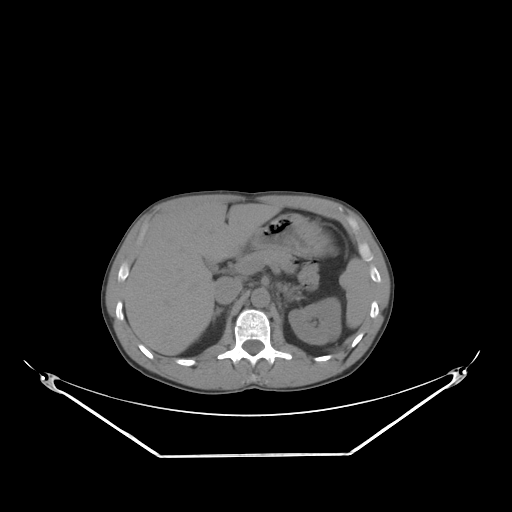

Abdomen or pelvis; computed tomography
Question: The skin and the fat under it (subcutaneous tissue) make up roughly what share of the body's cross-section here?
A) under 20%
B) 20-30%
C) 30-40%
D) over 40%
Answer: A) under 20%
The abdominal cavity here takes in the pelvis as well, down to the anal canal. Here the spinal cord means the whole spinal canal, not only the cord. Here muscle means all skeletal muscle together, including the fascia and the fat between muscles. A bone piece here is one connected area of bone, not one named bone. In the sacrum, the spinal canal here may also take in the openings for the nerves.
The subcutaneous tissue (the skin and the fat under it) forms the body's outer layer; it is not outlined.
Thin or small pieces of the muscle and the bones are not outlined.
The abdominal cavity is outlined by 252,199 322,215 344,227 371,279 371,301 365,321 343,347 312,355 286,341 279,321 271,323 263,310 245,307 233,325 226,324 218,341 200,353 191,357 153,353 134,335 123,311 123,287 149,227 173,209. The muscle is outlined by 214,193 235,194 236,195 242,195 243,196 259,196 260,195 268,195 269,194 283,194 284,195 306,195 307,196 318,197 319,198 323,198 324,199 327,199 331,201 337,202 353,211 361,218 368,228 372,237 374,239 382,254 389,276 390,289 389,290 388,303 387,306 383,311 383,314 384,315 383,321 368,348 354,363 341,372 335,375 333,375 330,377 328,377 319,381 316,381 304,385 288,386 287,387 271,387 266,385 261,385 257,383 249,383 241,387 234,388 233,389 202,389 201,388 197,388 196,387 192,387 188,385 185,385 176,381 168,379 163,376 161,376 159,374 155,373 140,365 130,357 122,346 115,332 112,323 112,319 107,311 106,302 105,301 106,287 108,282 109,274 113,262 121,246 123,244 127,235 135,223 145,213 155,205 163,201 169,199 172,199 173,198 176,198 177,197 187,196 188,195 213,194, around holes outlined by 252,199 333,219 344,227 356,245 356,235 347,221 347,216 354,218 359,227 359,238 367,243 373,255 371,261 365,262 367,269 371,265 375,266 381,278 380,282 371,281 371,300 375,300 378,305 377,316 374,318 367,316 357,332 358,334 362,332 363,335 353,347 350,345 354,338 352,337 343,347 333,351 330,354 332,356 325,361 315,361 314,355 288,343 279,321 270,324 270,342 275,349 290,353 291,359 276,357 270,364 266,359 261,358 254,365 245,358 240,359 235,364 227,357 218,359 217,356 220,353 231,349 235,344 234,326 229,322 216,343 191,357 196,362 193,365 181,365 175,362 174,357 166,357 155,353 152,359 149,358 140,350 138,346 140,342 126,320 118,319 115,314 117,302 119,300 123,302 125,281 118,281 117,279 121,264 126,261 129,269 131,269 149,227 157,218 170,210 217,203 240,203 and by 143,227 145,227 145,231 144,232 144,233 143,234 143,237 142,238 142,239 141,240 141,241 140,241 139,242 138,241 138,236 139,235 139,234 140,233 140,232 141,231 141,230 142,229 142,228. The torso is outlined by 215,188 246,191 293,189 328,194 347,201 367,219 392,266 394,302 388,324 377,345 352,374 320,387 296,392 254,388 233,394 204,395 148,378 121,356 100,309 101,283 114,249 132,220 155,200 178,192. The spinal cord is outlined by 248,340 257,340 258,341 259,341 262,343 262,344 263,345 263,347 258,352 257,352 255,354 251,354 250,353 249,353 247,351 246,351 243,348 243,347 242,346 243,345 243,344 246,341 247,341. The bones appear in 9 outlined pieces: piece 1: 245,308 261,310 267,315 271,325 271,345 277,350 290,353 292,356 291,359 276,357 273,363 270,364 266,359 261,358 252,365 245,358 240,359 235,364 230,358 217,358 220,353 234,346 235,320 239,313 with a hole at 248,340 257,340 258,341 259,341 262,343 262,344 263,345 263,347 258,352 257,352 255,354 251,354 250,353 249,353 247,351 246,351 243,348 243,347 242,346 243,345 243,344 246,341 247,341; piece 2: 347,216 351,216 356,220 359,227 359,234 358,236 361,240 363,240 367,243 370,249 370,251 373,255 373,258 371,261 369,262 365,261 359,253 358,246 357,245 356,235 352,231 352,229 347,221; piece 3: 124,261 126,261 128,263 128,264 129,265 129,271 128,272 128,274 127,275 127,276 123,281 118,281 118,280 117,279 117,275 118,274 118,271 119,270 119,268 120,267 120,266 121,265 121,264; piece 4: 371,265 373,265 374,266 375,266 375,267 377,269 377,270 379,272 379,274 380,275 380,277 381,278 381,281 380,282 375,282 374,281 373,281 372,280 372,279 370,277 370,274 369,273 369,268; piece 5: 175,358 191,358 192,359 194,359 195,360 195,361 196,362 195,363 195,364 194,364 193,365 181,365 180,364 178,364 177,363 176,363 175,362; piece 6: 373,300 375,300 376,301 376,302 377,303 377,304 378,305 378,308 379,309 379,312 378,313 378,314 377,315 377,316 376,317 375,317 374,318 372,318 369,315 369,313 370,312 370,306 371,305 371,302; piece 7: 119,300 120,300 121,301 121,302 122,303 122,311 123,312 123,315 124,316 124,320 120,320 119,319 118,319 116,317 116,315 115,314 115,309 116,308 116,305 117,304 117,302; piece 8: 139,343 141,343 144,346 145,346 145,347 146,348 147,348 153,354 153,358 152,359 151,359 150,358 149,358 147,356 146,356 140,350 140,349 139,348 139,347 138,346 138,344; piece 9: 360,332 362,332 363,333 363,335 362,336 362,337 361,338 361,339 353,347 351,347 351,346 350,345 351,344 351,343 352,342 352,341 353,340 353,339.